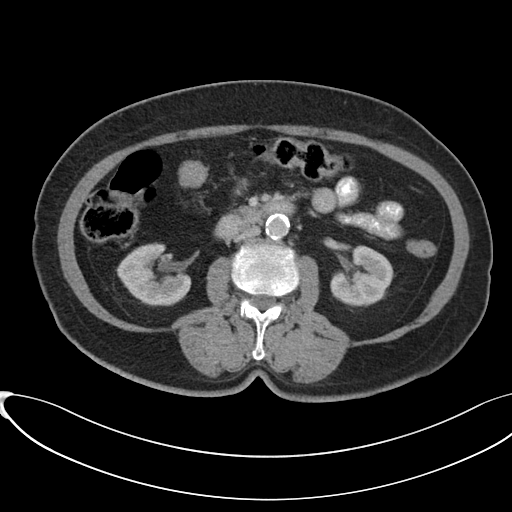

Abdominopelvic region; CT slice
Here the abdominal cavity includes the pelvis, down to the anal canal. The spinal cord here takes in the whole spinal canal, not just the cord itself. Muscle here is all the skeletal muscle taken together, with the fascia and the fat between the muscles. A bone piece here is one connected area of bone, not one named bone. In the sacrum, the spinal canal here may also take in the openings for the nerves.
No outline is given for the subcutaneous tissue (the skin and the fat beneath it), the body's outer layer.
{"torso":[[[241,79],[316,83],[387,101],[417,119],[464,165],[491,229],[491,281],[479,325],[442,367],[386,391],[339,401],[288,400],[259,377],[235,394],[193,397],[125,378],[96,363],[60,331],[31,254],[36,202],[58,158],[90,125],[121,107],[172,90]]],"bones":[{"outer":[[246,242],[281,244],[293,249],[295,253],[294,260],[299,273],[297,287],[281,298],[282,311],[265,328],[263,335],[265,355],[259,360],[252,356],[256,343],[255,322],[251,318],[240,315],[239,308],[244,293],[233,283],[231,278],[231,263],[234,254]],"hole":[[252,295],[267,295],[268,296],[272,296],[273,297],[275,297],[276,298],[276,303],[274,305],[273,305],[272,306],[267,308],[265,310],[264,310],[263,311],[261,311],[257,307],[256,307],[254,305],[253,305],[250,302],[250,296],[251,296]]}],"muscle":[[[254,123],[333,128],[401,147],[445,178],[467,222],[468,254],[457,288],[441,310],[396,339],[350,347],[337,368],[314,383],[296,383],[260,360],[266,355],[267,326],[283,311],[282,298],[299,285],[296,255],[307,255],[317,264],[320,290],[314,310],[352,340],[381,336],[414,318],[444,278],[452,255],[454,235],[444,198],[419,173],[371,147],[256,127],[136,148],[90,190],[73,228],[76,261],[95,297],[128,322],[166,327],[210,306],[209,267],[220,256],[233,256],[230,278],[243,293],[239,315],[255,325],[251,351],[255,360],[230,375],[210,378],[198,372],[171,333],[129,331],[98,318],[74,294],[60,266],[57,229],[62,210],[77,182],[95,163],[163,133]]],"abdominal_cavity":[[[256,128],[371,148],[437,190],[449,213],[452,250],[443,278],[414,317],[381,335],[352,339],[314,308],[321,290],[316,260],[265,241],[246,241],[214,259],[205,276],[211,304],[166,326],[128,321],[96,297],[74,242],[77,216],[94,186],[136,149]]],"spinal_cord":[[[252,295],[267,295],[268,296],[272,296],[273,297],[275,297],[276,298],[276,303],[274,305],[273,305],[272,306],[267,308],[265,310],[264,310],[263,311],[261,311],[257,307],[256,307],[254,305],[253,305],[250,302],[250,296],[251,296]]]}